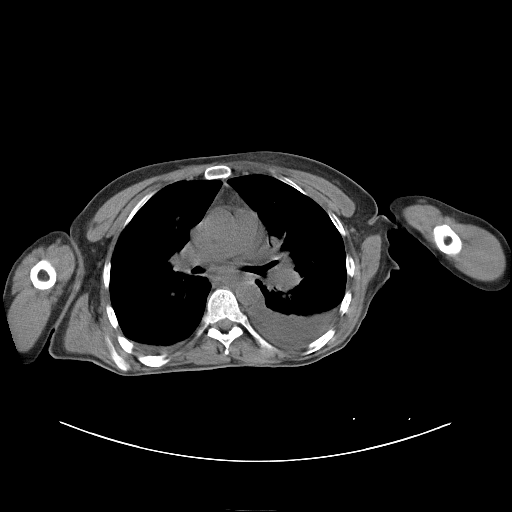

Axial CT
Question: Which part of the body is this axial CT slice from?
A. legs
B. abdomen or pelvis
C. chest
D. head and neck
Answer: C. chest
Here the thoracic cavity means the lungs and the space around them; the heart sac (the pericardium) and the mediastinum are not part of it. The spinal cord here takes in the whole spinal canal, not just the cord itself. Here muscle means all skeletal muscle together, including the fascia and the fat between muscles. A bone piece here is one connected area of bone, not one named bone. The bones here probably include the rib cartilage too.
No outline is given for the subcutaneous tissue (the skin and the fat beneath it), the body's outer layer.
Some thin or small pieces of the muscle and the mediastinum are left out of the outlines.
{"pericardium":[[[221,205],[238,205],[240,207],[245,207],[259,219],[263,230],[263,244],[253,256],[243,259],[236,259],[235,260],[234,259],[230,259],[229,261],[225,262],[211,261],[204,257],[202,252],[202,239],[204,235],[204,220],[207,215],[214,208],[216,208]]],"right_arm":[[[58,229],[69,231],[77,243],[82,268],[68,305],[51,332],[48,342],[44,345],[41,352],[33,362],[29,364],[24,364],[19,353],[16,350],[15,343],[11,337],[11,331],[6,317],[3,300],[5,281],[13,262],[26,247],[38,237],[52,230]]],"bones":[{"outer":[[218,288],[229,289],[234,294],[240,309],[247,316],[251,326],[266,341],[275,346],[278,351],[262,348],[247,331],[236,337],[230,343],[228,354],[224,353],[225,347],[217,339],[207,336],[204,332],[198,337],[195,336],[206,310],[207,298]],"hole":[[225,318],[226,319],[228,319],[232,323],[232,325],[231,326],[231,327],[228,330],[226,330],[225,331],[224,330],[222,330],[221,329],[220,329],[217,326],[217,323],[220,320],[221,320],[222,319],[224,319]]},[[441,224],[447,224],[458,235],[458,236],[460,238],[462,242],[462,247],[460,251],[458,253],[454,255],[451,255],[450,254],[446,254],[442,252],[440,250],[439,250],[439,249],[437,247],[434,241],[434,238],[433,237],[433,228],[436,225],[440,225]],[[41,259],[46,259],[48,260],[54,267],[56,271],[56,279],[55,280],[55,282],[54,284],[50,288],[48,289],[44,289],[43,290],[36,288],[33,285],[30,279],[30,270],[31,268],[39,260]],[[220,164],[222,164],[223,165],[226,165],[228,166],[231,169],[231,171],[232,173],[230,176],[228,177],[226,177],[225,178],[216,178],[215,179],[206,179],[203,177],[203,174],[204,173],[204,171],[207,167],[209,166],[211,166],[212,165],[219,165]],[[165,353],[168,353],[168,356],[170,358],[170,359],[168,362],[167,362],[165,364],[164,364],[159,367],[152,367],[151,366],[148,366],[147,365],[144,365],[142,363],[141,363],[138,360],[138,359],[137,358],[137,355],[161,355],[162,354],[164,354]],[[332,327],[334,328],[335,330],[335,332],[332,338],[331,338],[322,347],[321,347],[319,349],[311,353],[309,353],[308,354],[302,354],[303,351],[304,351],[306,349],[308,344],[309,344],[314,340],[320,337],[324,333],[325,333],[330,328]],[[106,336],[109,338],[116,352],[120,356],[121,356],[125,360],[126,362],[127,362],[130,365],[130,369],[129,370],[127,371],[124,371],[123,370],[119,369],[117,367],[116,364],[111,358],[111,355],[110,354],[110,352],[107,346],[107,343],[105,339]],[[153,190],[155,190],[156,192],[151,197],[150,197],[147,200],[147,201],[146,201],[145,203],[141,206],[141,207],[139,208],[139,209],[134,214],[134,215],[131,218],[128,223],[122,229],[122,225],[124,221],[126,219],[134,206],[146,194]],[[272,171],[274,171],[277,174],[279,174],[280,175],[282,175],[283,176],[285,176],[286,177],[288,177],[290,178],[296,184],[297,184],[302,189],[303,189],[308,194],[308,195],[306,195],[302,193],[294,187],[274,177],[272,175]],[[119,334],[120,334],[121,335],[123,335],[127,339],[128,339],[133,343],[133,344],[134,345],[134,347],[133,348],[133,353],[128,353],[126,351],[125,351],[122,348],[122,347],[120,345],[120,344],[118,342],[118,341],[117,340],[117,336]],[[346,290],[349,290],[351,292],[351,300],[349,303],[349,305],[348,306],[348,308],[347,309],[347,311],[344,314],[341,315],[339,312],[339,306],[340,305],[340,303],[341,302],[341,301],[342,300],[342,299],[343,298],[343,297],[345,294],[345,291]],[[328,210],[330,210],[332,212],[333,212],[340,220],[340,221],[342,224],[342,226],[345,231],[345,235],[344,236],[342,236],[341,235],[341,234],[339,232],[339,231],[337,229],[337,228],[334,225],[333,222],[329,217],[329,216],[327,213],[327,211]],[[107,260],[108,260],[109,261],[110,261],[110,273],[109,274],[110,275],[109,276],[109,288],[108,289],[106,289],[105,288],[105,286],[104,285],[104,282],[103,281],[103,277],[102,276],[102,272],[103,271],[103,266],[104,265],[104,263]],[[107,304],[110,304],[111,305],[111,306],[115,313],[115,315],[116,316],[116,318],[117,319],[117,321],[118,322],[118,324],[119,325],[119,327],[116,329],[112,326],[112,325],[108,318],[108,316],[107,315],[107,312],[106,311],[106,305]],[[346,254],[349,254],[352,257],[352,258],[353,259],[353,261],[354,262],[354,265],[355,266],[355,268],[354,269],[354,273],[353,274],[353,275],[352,276],[348,276],[347,275],[347,270],[346,269]]],"thoracic_cavity":[[[196,178],[219,179],[221,182],[201,219],[189,229],[189,241],[195,249],[197,272],[202,278],[207,278],[210,284],[205,310],[196,331],[185,344],[161,354],[143,354],[123,334],[111,304],[109,289],[114,248],[122,230],[140,208],[159,190],[176,181]],[[247,173],[272,176],[311,198],[326,212],[342,238],[347,276],[337,315],[331,327],[305,348],[292,349],[272,344],[252,326],[245,313],[265,299],[255,282],[256,278],[261,276],[256,266],[268,261],[270,251],[270,236],[258,213],[228,183],[228,179]]],"torso":[[[256,150],[298,154],[337,169],[373,197],[378,213],[394,228],[387,234],[389,254],[399,269],[391,271],[375,294],[348,343],[296,367],[225,367],[138,376],[119,375],[89,361],[52,357],[49,340],[83,268],[69,228],[90,199],[116,177],[144,165]]],"spinal_cord":[[[225,318],[226,319],[228,319],[232,323],[232,325],[231,326],[231,327],[228,330],[226,330],[225,331],[224,330],[222,330],[221,329],[220,329],[217,326],[217,323],[220,320],[221,320],[222,319],[224,319]]],"mediastinum":[[[233,174],[241,174],[227,183],[258,217],[238,204],[214,207],[203,220],[201,252],[216,263],[253,257],[264,244],[261,221],[269,251],[267,261],[255,266],[260,276],[254,282],[264,299],[246,312],[229,288],[209,294],[190,241],[220,179]]],"left_arm":[[[414,194],[429,196],[462,211],[477,215],[498,229],[503,234],[511,248],[511,281],[508,285],[498,291],[485,291],[479,289],[457,277],[444,267],[426,247],[407,231],[400,228],[395,229],[387,217],[390,219],[393,218],[388,207],[390,201],[399,196]]],"muscle":[[[236,160],[257,161],[320,176],[354,202],[353,213],[339,218],[330,209],[326,211],[290,177],[274,170],[271,175],[233,173],[228,165],[222,163],[207,166],[202,177],[180,179],[157,191],[153,189],[133,206],[123,221],[111,258],[107,259],[106,260],[105,261],[103,263],[101,272],[101,273],[101,276],[102,277],[104,288],[109,291],[110,303],[105,305],[107,318],[114,329],[120,328],[122,332],[116,336],[117,342],[128,354],[133,354],[134,348],[141,352],[136,358],[144,366],[157,368],[129,371],[131,365],[106,335],[106,346],[116,367],[92,354],[68,352],[63,345],[63,336],[74,302],[84,292],[88,292],[90,298],[95,296],[98,301],[99,283],[102,265],[107,250],[107,245],[89,241],[85,233],[88,222],[103,203],[124,188],[152,176],[188,165]],[[341,220],[348,226],[353,243],[358,251],[363,240],[367,236],[375,234],[378,234],[381,238],[381,251],[378,269],[367,286],[358,319],[352,330],[339,344],[302,360],[246,363],[231,359],[227,362],[214,364],[185,363],[160,367],[170,361],[169,352],[185,345],[194,334],[198,338],[204,333],[207,337],[220,342],[224,347],[223,353],[225,355],[229,354],[231,343],[245,332],[262,349],[273,352],[279,351],[276,346],[278,346],[292,350],[305,349],[301,354],[308,355],[322,348],[333,338],[336,332],[332,326],[338,313],[341,316],[344,315],[352,300],[352,292],[346,289],[346,283],[347,277],[354,275],[356,266],[353,257],[345,251],[342,237],[346,235],[346,231]],{"outer":[[58,237],[65,238],[72,247],[76,257],[76,271],[68,282],[65,291],[53,308],[45,327],[34,345],[27,351],[18,352],[16,350],[15,343],[11,337],[10,334],[11,331],[6,317],[6,313],[9,309],[10,304],[12,278],[18,265],[32,249]],"hole":[[41,259],[46,259],[48,260],[54,267],[56,271],[56,279],[55,280],[55,282],[54,284],[50,288],[48,289],[44,289],[43,290],[36,288],[33,285],[30,279],[30,270],[31,268],[39,260]]},[[417,203],[433,205],[461,223],[472,224],[491,233],[500,243],[505,256],[505,269],[502,276],[493,281],[481,281],[460,271],[444,255],[454,256],[463,247],[461,238],[447,223],[436,224],[432,228],[432,237],[437,249],[402,215],[403,208]]]}